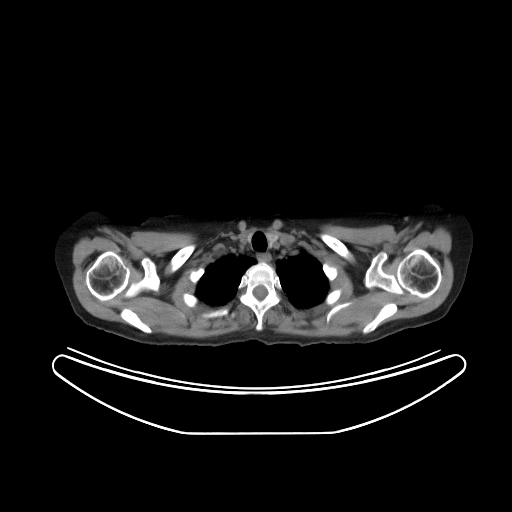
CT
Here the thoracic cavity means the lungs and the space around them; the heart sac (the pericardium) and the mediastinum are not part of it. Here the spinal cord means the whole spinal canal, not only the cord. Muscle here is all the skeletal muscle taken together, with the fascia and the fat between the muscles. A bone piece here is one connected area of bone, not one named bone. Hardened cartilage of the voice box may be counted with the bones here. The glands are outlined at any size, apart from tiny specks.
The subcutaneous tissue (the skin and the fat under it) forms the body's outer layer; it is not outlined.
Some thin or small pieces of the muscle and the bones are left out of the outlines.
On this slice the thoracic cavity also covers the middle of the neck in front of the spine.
The bones appear in 12 outlined pieces: piece 1: 416 248; 421 248; 429 252; 440 267; 441 282; 436 291; 429 297; 421 298; 407 291; 403 294; 396 294; 378 287; 367 288; 365 286; 364 278; 366 270; 378 253; 384 252; 387 256; 382 264; 382 270; 387 274; 395 274; 399 262; piece 2: 108 250; 120 255; 129 267; 130 283; 143 278; 144 269; 141 261; 143 258; 148 257; 156 266; 156 271; 160 278; 159 289; 157 291; 144 290; 132 297; 125 297; 123 291; 113 298; 103 301; 94 296; 86 285; 86 272; 96 257; piece 3: 259 261; 264 261; 270 264; 274 268; 279 278; 279 282; 282 287; 283 292; 281 300; 277 304; 270 307; 263 314; 261 331; 257 331; 255 329; 257 323; 255 313; 248 306; 244 305; 239 301; 237 292; 237 288; 243 274; 250 266, around a hole outlined by 258 286; 262 286; 263 287; 264 287; 265 288; 265 289; 266 290; 266 291; 267 292; 266 293; 266 295; 262 299; 258 299; 253 294; 253 291; 254 290; 254 289; 256 287; 257 287; piece 4: 387 303; 395 303; 397 305; 397 311; 391 316; 384 319; 377 326; 377 327; 373 331; 372 331; 367 334; 363 334; 362 333; 362 329; 365 326; 365 325; 366 325; 371 320; 372 320; 377 314; 377 313; 382 307; 382 306; piece 5: 191 242; 193 242; 195 243; 196 244; 196 247; 188 257; 188 258; 180 266; 180 267; 174 272; 172 273; 170 273; 168 272; 167 271; 167 268; 169 265; 169 262; 171 258; 176 253; 176 252; 184 245; 188 243; 190 243; piece 6: 321 231; 323 231; 324 232; 327 232; 333 235; 336 238; 337 238; 340 241; 341 241; 347 247; 347 248; 352 254; 352 258; 350 260; 346 259; 344 257; 341 256; 337 252; 336 252; 329 246; 328 246; 319 237; 318 235; 319 232; piece 7: 339 288; 341 289; 341 294; 335 303; 336 304; 340 304; 345 302; 351 302; 351 304; 340 309; 333 314; 328 322; 326 319; 326 315; 331 309; 333 305; 332 304; 327 304; 325 303; 324 302; 324 299; 329 291; 335 289; 338 289; piece 8: 124 308; 128 308; 132 310; 134 312; 135 312; 138 315; 138 316; 147 325; 149 326; 149 327; 152 330; 152 333; 146 333; 140 330; 138 328; 129 324; 126 321; 125 321; 120 316; 120 312; 121 310; piece 9: 324 262; 327 262; 330 265; 336 267; 336 268; 337 269; 337 275; 335 277; 335 278; 332 281; 331 281; 330 282; 329 282; 328 279; 326 277; 326 276; 325 275; 325 274; 324 273; 324 272; 322 269; 322 264; piece 10: 224 306; 226 306; 229 309; 229 312; 226 315; 223 315; 222 316; 218 316; 217 317; 211 317; 210 318; 208 318; 207 317; 204 317; 202 316; 202 314; 203 313; 205 313; 209 311; 212 311; 213 310; 218 309; piece 11: 199 267; 202 267; 203 268; 204 268; 204 272; 203 273; 202 276; 197 282; 197 283; 196 284; 195 284; 194 283; 193 283; 190 280; 190 279; 189 278; 189 274; 190 273; 190 272; 192 270; 195 270; 196 269; 197 269; piece 12: 184 293; 189 293; 190 294; 194 294; 198 298; 198 299; 199 300; 199 301; 194 306; 188 306; 183 301; 183 298; 182 297; 182 296; 183 295; 183 294. The thoracic cavity is outlined by 257 229; 265 231; 270 248; 279 236; 286 237; 321 264; 328 281; 328 291; 322 301; 308 307; 292 303; 275 268; 264 260; 245 270; 235 296; 226 303; 212 305; 199 299; 195 292; 206 267; 225 254; 232 241; 239 238; 245 245. The torso is outlined by 352 210; 378 210; 403 215; 392 253; 393 272; 405 306; 422 326; 404 329; 366 344; 265 345; 250 340; 216 347; 148 345; 99 329; 118 309; 133 278; 135 243; 128 223; 138 225; 149 216; 166 214; 231 220; 246 215; 298 217. The right arm is outlined by 90 209; 101 210; 111 219; 116 220; 121 223; 127 223; 129 225; 133 235; 134 254; 135 255; 135 264; 130 284; 117 309; 110 318; 98 329; 95 327; 92 327; 85 324; 74 313; 65 293; 54 262; 54 245; 60 232; 74 219. The spinal cord is outlined by 258 286; 262 286; 263 287; 264 287; 265 288; 265 289; 266 290; 266 291; 267 292; 266 293; 266 295; 262 299; 258 299; 253 294; 253 291; 254 290; 254 289; 256 287; 257 287. The left arm is outlined by 427 202; 440 203; 446 209; 458 210; 463 212; 469 219; 473 229; 473 248; 467 268; 465 281; 462 289; 449 311; 441 319; 425 325; 421 325; 413 317; 409 311; 399 291; 394 272; 393 253; 397 236; 399 233; 404 215. The muscle is outlined by 275 219; 302 228; 327 222; 349 227; 390 224; 398 231; 420 221; 445 226; 452 235; 452 287; 439 306; 422 315; 378 326; 398 311; 395 302; 387 302; 361 329; 365 335; 305 337; 263 330; 264 314; 284 294; 299 308; 323 301; 332 305; 325 315; 328 323; 352 302; 336 303; 342 289; 329 290; 338 275; 336 266; 321 263; 289 237; 261 228; 232 240; 226 252; 205 268; 192 269; 188 278; 195 291; 181 296; 188 307; 200 301; 221 306; 237 293; 238 301; 254 313; 254 329; 208 338; 153 333; 132 309; 119 312; 128 324; 105 320; 88 312; 75 294; 73 245; 99 226; 121 232; 207 235; 241 220; 267 225 with holes at 416 248; 421 248; 429 252; 440 267; 441 282; 436 291; 429 297; 421 298; 407 291; 403 294; 396 294; 378 287; 367 288; 365 286; 364 278; 366 270; 378 253; 384 252; 387 256; 382 264; 382 270; 387 274; 395 274; 399 262 and at 108 250; 120 255; 129 267; 130 283; 143 278; 144 269; 141 261; 143 258; 148 257; 156 266; 156 271; 160 278; 159 289; 157 291; 144 290; 132 297; 125 297; 123 291; 113 298; 103 301; 94 296; 86 285; 86 272; 96 257 and at 191 242; 193 242; 195 243; 196 244; 196 247; 188 257; 188 258; 180 266; 180 267; 174 272; 172 273; 170 273; 168 272; 167 271; 167 268; 169 265; 169 262; 171 258; 176 253; 176 252; 184 245; 188 243; 190 243 and at 321 231; 323 231; 324 232; 327 232; 333 235; 336 238; 337 238; 340 241; 341 241; 347 247; 347 248; 352 254; 352 258; 350 260; 346 259; 344 257; 341 256; 337 252; 336 252; 329 246; 328 246; 319 237; 318 235; 319 232 and at 224 306; 226 306; 229 309; 229 312; 226 315; 223 315; 222 316; 218 316; 217 317; 211 317; 210 318; 208 318; 207 317; 204 317; 202 316; 202 314; 203 313; 205 313; 209 311; 212 311; 213 310; 218 309. The thyroid glands appear in 2 outlined pieces: piece 1: 266 231; 268 231; 269 232; 272 232; 273 233; 275 233; 278 235; 278 237; 277 238; 277 239; 276 240; 276 241; 273 244; 273 245; 271 247; 270 247; 269 246; 269 243; 268 242; 268 239; 267 238; 267 236; 266 235; piece 2: 250 231; 251 231; 251 234; 250 235; 250 237; 246 241; 246 242; 245 243; 245 244; 244 244; 240 240; 240 238; 241 238; 243 236; 244 236; 245 235; 245 234; 246 234; 248 232; 249 232.